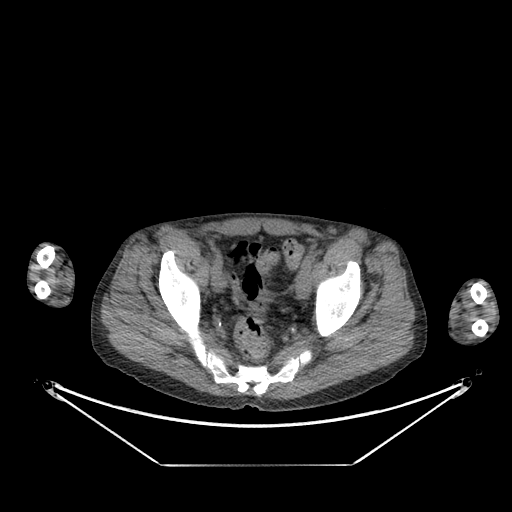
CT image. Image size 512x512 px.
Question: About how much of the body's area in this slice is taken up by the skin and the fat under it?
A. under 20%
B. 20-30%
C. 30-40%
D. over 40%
Answer: A. under 20%
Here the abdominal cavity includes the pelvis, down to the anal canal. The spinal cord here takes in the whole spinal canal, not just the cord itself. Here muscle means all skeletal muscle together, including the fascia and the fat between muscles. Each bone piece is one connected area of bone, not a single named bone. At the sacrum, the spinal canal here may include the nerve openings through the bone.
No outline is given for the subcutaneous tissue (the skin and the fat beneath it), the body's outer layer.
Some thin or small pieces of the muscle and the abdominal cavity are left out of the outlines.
The left arm is outlined by (473, 276) (479, 276) (485, 279) (491, 284) (495, 293) (499, 306) (500, 321) (495, 331) (491, 336) (486, 340) (479, 344) (473, 346) (464, 346) (456, 343) (449, 337) (447, 332) (447, 319) (448, 318) (448, 312) (449, 311) (451, 301) (457, 290) (463, 282). The abdominal cavity is outlined by (261, 228) (272, 235) (304, 233) (330, 242) (322, 259) (313, 265) (311, 272) (315, 292) (311, 331) (278, 351) (266, 364) (245, 364) (236, 361) (231, 352) (200, 320) (201, 295) (208, 289) (209, 275) (208, 260) (201, 254) (199, 242) (208, 233) (243, 236) (255, 234). The bones appear in 6 outlined pieces: piece 1: (167, 250) (174, 252) (178, 268) (198, 285) (200, 335) (206, 349) (220, 356) (230, 372) (240, 363) (266, 365) (275, 373) (305, 349) (311, 351) (310, 360) (299, 367) (291, 381) (272, 382) (260, 396) (250, 388) (238, 391) (234, 382) (216, 383) (159, 292) (160, 260); piece 2: (348, 260) (353, 260) (357, 262) (360, 268) (360, 291) (361, 294) (360, 295) (359, 302) (351, 316) (341, 327) (327, 336) (321, 336) (317, 330) (316, 321) (315, 320) (315, 297) (316, 296) (316, 289) (317, 286) (322, 280) (324, 280) (328, 277) (341, 274) (345, 270); piece 3: (46, 244) (49, 244) (50, 245) (52, 245) (54, 247) (54, 250) (55, 251) (55, 256) (54, 257) (54, 259) (53, 260) (53, 261) (51, 263) (51, 264) (47, 268) (40, 268) (40, 266) (36, 260) (36, 255) (37, 254) (37, 252) (38, 251) (38, 250) (39, 250); piece 4: (477, 281) (480, 281) (481, 282) (481, 283) (485, 287) (485, 288) (487, 290) (487, 296) (483, 301) (483, 303) (482, 303) (481, 304) (477, 304) (473, 300) (473, 299) (471, 297) (471, 295) (470, 294) (470, 288) (471, 287) (471, 286) (474, 282) (476, 282); piece 5: (40, 279) (41, 280) (45, 280) (47, 282) (47, 283) (48, 284) (48, 285) (51, 290) (51, 292) (50, 293) (50, 294) (45, 299) (40, 299) (39, 298) (38, 298) (37, 297) (37, 296) (34, 291) (34, 286) (35, 285) (35, 284); piece 6: (478, 318) (480, 318) (481, 319) (484, 319) (486, 321) (488, 325) (488, 330) (487, 332) (485, 334) (485, 335) (481, 337) (479, 337) (477, 336) (472, 331) (471, 329) (471, 326) (473, 322) (476, 319). The torso is outlined by (239, 211) (302, 214) (351, 222) (395, 238) (405, 250) (426, 309) (428, 335) (422, 355) (388, 382) (361, 395) (327, 406) (280, 412) (261, 411) (248, 405) (232, 410) (190, 404) (148, 388) (107, 366) (91, 345) (90, 307) (96, 285) (124, 238) (138, 228) (164, 220). The spinal cord is outlined by (250, 382) (251, 382) (252, 382) (253, 382) (254, 382) (255, 383) (256, 383) (255, 384) (254, 385) (253, 385) (252, 386) (251, 386) (250, 385) (249, 384) (248, 383) (249, 383). The right arm is outlined by (45, 240) (54, 241) (61, 245) (65, 249) (72, 261) (75, 272) (75, 288) (74, 289) (73, 298) (71, 302) (67, 306) (60, 309) (55, 309) (44, 305) (36, 299) (33, 298) (26, 286) (26, 270) (27, 269) (27, 265) (30, 254) (34, 247) (38, 243). The muscle appears in 4 outlined pieces: piece 1: (243, 217) (278, 218) (317, 225) (335, 236) (355, 227) (392, 241) (398, 249) (415, 309) (414, 339) (409, 351) (396, 361) (369, 373) (292, 399) (220, 396) (198, 391) (119, 353) (106, 336) (107, 331) (101, 321) (101, 304) (130, 239) (158, 225) (193, 228) (209, 222) with a hole at (261, 228) (272, 235) (304, 233) (330, 241) (312, 268) (314, 291) (353, 260) (360, 268) (361, 294) (347, 321) (327, 336) (319, 334) (314, 311) (311, 331) (266, 364) (275, 373) (305, 349) (311, 351) (310, 360) (291, 381) (272, 382) (257, 396) (250, 388) (238, 391) (234, 382) (215, 382) (167, 309) (158, 277) (162, 254) (172, 250) (178, 268) (196, 282) (201, 295) (209, 286) (208, 260) (199, 243) (202, 238) (208, 233) (251, 235); piece 2: (481, 281) (488, 286) (491, 292) (491, 299) (496, 308) (496, 318) (490, 330) (484, 318) (476, 318) (470, 329) (478, 337) (467, 341) (462, 339) (451, 328) (450, 307) (455, 298) (470, 282) (473, 282) (469, 288) (470, 297) (477, 305) (483, 304) (488, 296) (488, 290); piece 3: (54, 246) (61, 252) (67, 261) (71, 277) (71, 286) (67, 295) (63, 299) (55, 302) (46, 299) (51, 294) (52, 290) (45, 279) (40, 278) (34, 284) (33, 290) (29, 278) (35, 252) (37, 250) (35, 260) (39, 268) (47, 269) (56, 256); piece 4: (201, 320) (205, 324) (205, 327) (211, 332) (215, 339) (224, 348) (230, 352) (235, 361) (237, 362) (235, 366) (236, 369) (234, 371) (230, 371) (224, 359) (220, 355) (217, 354) (211, 348) (207, 349) (207, 347) (201, 335) (201, 331) (199, 327) (199, 324).